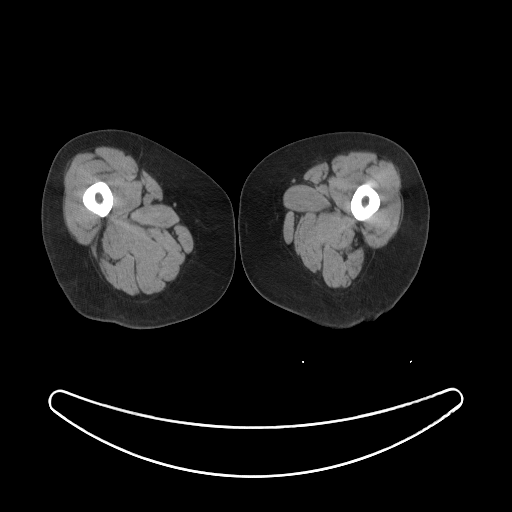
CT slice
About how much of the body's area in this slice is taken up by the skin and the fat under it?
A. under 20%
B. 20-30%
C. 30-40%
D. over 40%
D. over 40%
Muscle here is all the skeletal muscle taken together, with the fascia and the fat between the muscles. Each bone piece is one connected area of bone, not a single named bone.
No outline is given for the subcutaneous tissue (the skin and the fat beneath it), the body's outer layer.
The right leg is outlined by [[104,128],[129,130],[160,143],[197,165],[227,193],[236,222],[235,267],[231,281],[224,294],[205,311],[163,327],[131,329],[113,323],[88,319],[80,315],[70,305],[59,286],[46,254],[41,233],[41,199],[45,180],[55,154],[64,143],[79,134]]. The left leg is outlined by [[344,130],[373,132],[388,137],[401,145],[411,155],[420,172],[428,194],[430,215],[427,242],[421,263],[405,293],[391,310],[375,321],[340,330],[318,325],[277,306],[255,290],[242,266],[237,220],[242,185],[249,172],[262,158],[290,142],[321,133]]. The muscle appears in 2 outlined pieces: piece 1: [[93,145],[109,145],[129,150],[176,204],[194,233],[196,245],[184,274],[174,286],[159,300],[142,302],[124,299],[116,295],[97,270],[88,252],[82,245],[76,242],[66,227],[63,219],[62,210],[64,193],[63,172],[66,163],[75,152],[87,146]], around a hole outlined by [[99,180],[101,181],[104,181],[108,185],[113,195],[113,205],[110,211],[108,213],[108,214],[104,217],[101,217],[97,214],[90,211],[84,205],[82,201],[82,195],[85,189],[88,186],[89,186],[94,182],[96,181],[98,181]]; piece 2: [[342,150],[372,151],[385,155],[399,171],[401,179],[400,192],[403,198],[404,212],[397,232],[385,246],[377,250],[363,274],[355,284],[342,294],[334,294],[327,292],[318,286],[313,281],[300,260],[284,245],[277,218],[277,209],[286,186],[323,157]] with a hole at [[366,182],[369,182],[372,187],[374,188],[374,189],[378,193],[379,197],[380,198],[380,205],[378,209],[368,219],[364,220],[363,221],[360,221],[359,220],[357,220],[353,216],[350,209],[350,201],[353,195],[353,193],[355,191],[356,188],[359,185]]. The bones appear in 2 outlined pieces: piece 1: [[366,182],[369,182],[372,187],[374,188],[374,189],[378,193],[379,197],[380,198],[380,205],[378,209],[368,219],[364,220],[363,221],[360,221],[359,220],[357,220],[353,216],[350,209],[350,201],[353,195],[353,193],[355,191],[356,188],[359,185]]; piece 2: [[99,180],[101,181],[104,181],[108,185],[113,195],[113,205],[110,211],[108,213],[108,214],[104,217],[101,217],[97,214],[90,211],[84,205],[82,201],[82,195],[85,189],[88,186],[89,186],[94,182],[96,181],[98,181]].